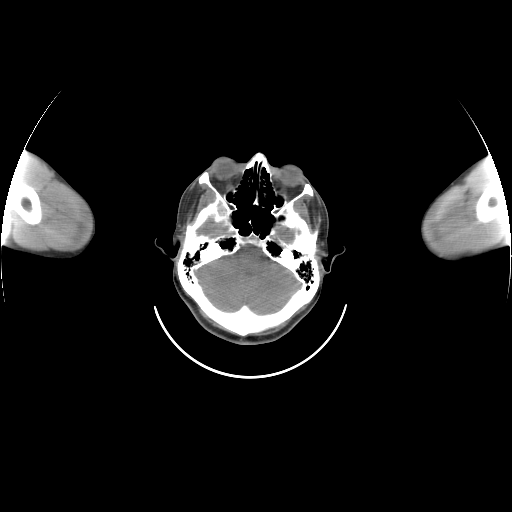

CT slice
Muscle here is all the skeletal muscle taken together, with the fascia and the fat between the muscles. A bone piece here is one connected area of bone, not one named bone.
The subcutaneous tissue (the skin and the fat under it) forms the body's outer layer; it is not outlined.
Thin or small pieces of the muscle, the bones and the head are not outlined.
Outlines (x, y in pixels):
muscle 1: 22 154; 35 159; 54 173; 81 199; 86 206; 92 220; 92 231; 89 239; 81 248; 72 252; 44 252; 28 250; 0 241; 6 199; 8 207; 25 224; 35 226; 40 224; 43 219; 43 207; 39 192; 28 182; 17 180; 11 182
muscle 2: 489 159; 493 162; 496 170; 492 173; 474 203; 475 218; 478 222; 489 223; 500 218; 507 210; 511 238; 499 243; 492 248; 477 253; 463 254; 456 257; 443 257; 438 255; 428 246; 423 235; 423 223; 429 209; 442 194; 472 168
muscle 3: 197 181; 197 183; 199 185; 206 185; 206 186; 212 191; 214 197; 211 201; 208 202; 204 206; 203 206; 194 215; 191 221; 188 221; 187 222; 185 226; 184 236; 181 240; 180 238; 179 226; 180 225; 182 205; 190 189
muscle 4: 306 195; 311 198; 315 195; 320 202; 320 207; 321 208; 322 217; 323 218; 323 243; 322 244; 321 249; 319 250; 317 246; 317 240; 319 235; 319 227; 320 225; 317 223; 315 226; 312 228; 300 213; 295 209; 295 203
muscle 5: 305 305; 307 305; 306 307; 298 316; 297 316; 289 324; 285 326; 276 333; 268 334; 267 335; 262 335; 261 336; 249 336; 248 335; 257 334; 265 330; 267 330; 271 328; 274 328; 280 325; 285 321; 291 318; 292 316; 300 308
muscle 6: 188 296; 193 300; 193 301; 197 305; 200 310; 208 318; 215 322; 220 328; 228 332; 230 332; 231 333; 233 333; 237 335; 234 335; 233 334; 228 333; 221 329; 219 329; 211 325; 201 315; 201 314; 198 311; 196 307; 190 300
head: 256 152; 272 166; 291 162; 301 168; 327 208; 327 258; 345 249; 324 276; 316 304; 289 332; 271 342; 243 345; 222 339; 197 322; 174 287; 173 263; 154 240; 175 256; 178 246; 173 245; 172 234; 184 189; 218 156; 245 163 with a hole at 249 169; 257 178; 253 205; 260 204; 260 190; 266 186; 263 169; 275 197; 282 199; 281 205; 272 205; 270 213; 273 221; 263 237; 252 230; 247 234; 240 233; 232 216; 237 206; 227 199; 228 194; 233 196; 237 192; 244 172
bones 1: 256 152; 263 153; 272 166; 274 187; 279 193; 291 198; 302 190; 305 183; 311 185; 314 195; 312 197; 304 195; 294 203; 294 209; 312 229; 317 224; 319 225; 316 246; 320 280; 312 299; 291 317; 274 327; 242 336; 220 327; 184 291; 178 279; 176 262; 188 222; 191 222; 195 215; 215 197; 206 184; 198 183; 198 177; 206 171; 211 183; 221 193; 229 192; 238 184; 244 165, around holes outlined by 246 245; 251 245; 258 248; 262 254; 270 261; 279 264; 289 271; 299 284; 299 286; 289 296; 286 301; 278 309; 274 311; 258 313; 245 303; 234 310; 222 309; 213 303; 200 283; 197 274; 200 268; 224 256; 232 256; 243 246 and by 249 169; 257 178; 253 205; 260 204; 260 190; 266 186; 263 169; 275 197; 282 199; 281 205; 272 205; 270 213; 273 221; 263 237; 252 230; 247 234; 240 233; 232 216; 237 206; 227 199; 228 194; 233 196; 237 192; 244 172 and by 209 219; 211 219; 212 221; 216 224; 221 224; 221 225; 224 228; 223 231; 221 231; 219 233; 217 233; 214 235; 211 235; 209 233; 204 233; 203 232; 198 232; 199 229; 201 228; 202 226; 203 226; 204 224 and by 283 230; 289 230; 290 231; 291 231; 292 232; 292 237; 291 238; 291 239; 290 240; 287 240; 284 237; 284 236; 283 235; 282 235; 281 234; 281 232
bones 2: 15 181; 28 183; 38 192; 38 194; 40 198; 40 201; 41 202; 41 206; 42 207; 42 219; 40 223; 35 225; 31 225; 30 224; 25 223; 15 214; 15 213; 7 204; 7 195; 9 191; 10 184
bones 3: 496 171; 497 171; 497 173; 500 180; 500 183; 503 191; 503 195; 505 198; 505 203; 506 204; 506 207; 507 209; 500 217; 489 222; 481 222; 480 221; 478 221; 476 218; 476 215; 475 214; 475 203; 478 197; 486 186; 493 173
left arm: 485 157; 489 158; 493 162; 500 180; 507 208; 508 225; 511 233; 511 243; 487 253; 484 253; 481 255; 462 261; 449 262; 439 259; 432 255; 426 249; 422 242; 420 235; 420 223; 422 216; 430 202; 453 179; 473 162; 480 158
brain 1: 246 245; 251 245; 258 248; 262 254; 270 261; 279 264; 289 271; 299 284; 299 286; 289 296; 286 301; 278 309; 274 311; 258 313; 245 303; 234 310; 222 309; 213 303; 200 283; 197 274; 200 268; 224 256; 232 256; 243 246
brain 2: 209 219; 211 219; 212 221; 216 224; 221 224; 221 225; 224 228; 223 231; 221 231; 219 233; 217 233; 214 235; 211 235; 209 233; 204 233; 203 232; 198 232; 199 229; 201 228; 202 226; 203 226; 204 224
brain 3: 283 230; 289 230; 290 231; 291 231; 292 232; 292 237; 291 238; 291 239; 290 240; 287 240; 284 237; 284 236; 283 235; 282 235; 281 234; 281 232
right arm: 24 151; 30 153; 33 152; 46 160; 86 200; 93 212; 95 218; 95 234; 86 249; 82 253; 73 258; 67 259; 46 258; 28 254; 24 252; 16 251; 0 244; 0 234; 2 231; 3 215; 9 187; 18 161; 22 154; 24 153